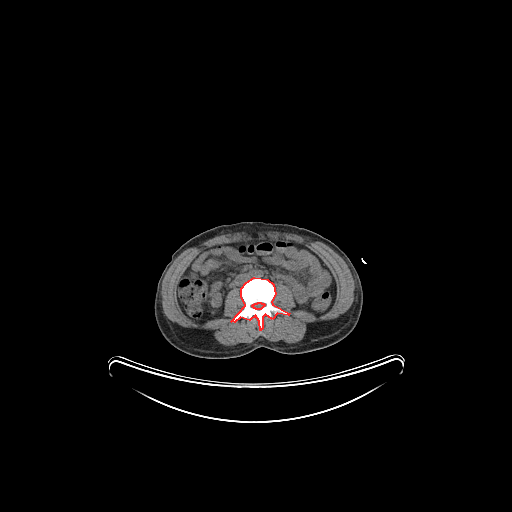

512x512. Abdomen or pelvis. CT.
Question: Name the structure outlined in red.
Answer: red: bones.
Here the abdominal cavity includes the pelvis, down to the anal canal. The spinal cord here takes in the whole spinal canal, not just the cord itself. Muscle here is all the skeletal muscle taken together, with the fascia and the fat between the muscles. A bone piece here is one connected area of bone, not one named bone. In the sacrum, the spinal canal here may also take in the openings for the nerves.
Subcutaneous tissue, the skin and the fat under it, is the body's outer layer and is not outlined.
The bones are outlined by 254 277; 267 279; 273 284; 275 294; 271 301; 272 304; 289 313; 288 315; 277 313; 272 319; 265 314; 262 317; 262 328; 260 330; 259 321; 255 315; 249 320; 240 317; 234 322; 231 321; 245 305; 241 296; 241 288; 246 282 with a hole at 258 302; 260 302; 261 303; 263 303; 264 304; 264 305; 260 309; 256 309; 255 308; 254 308; 252 306; 252 305; 253 304; 254 304; 255 303; 257 303. The abdominal cavity is outlined by 256 239; 290 240; 311 250; 328 268; 334 280; 335 295; 329 309; 320 315; 295 309; 295 295; 286 283; 281 279; 272 282; 254 276; 241 287; 231 288; 227 292; 223 317; 202 323; 190 318; 177 297; 179 280; 190 264; 208 248. The spinal cord is outlined by 258 302; 260 302; 261 303; 263 303; 264 304; 264 305; 260 309; 256 309; 255 308; 254 308; 252 306; 252 305; 253 304; 254 304; 255 303; 257 303. The muscle is outlined by 257 231; 296 232; 310 238; 319 240; 336 252; 346 263; 354 280; 354 300; 345 313; 333 320; 310 325; 307 329; 304 339; 294 344; 287 344; 282 341; 269 341; 265 338; 260 337; 251 343; 239 343; 234 346; 224 346; 217 342; 211 332; 195 328; 182 327; 171 322; 165 316; 162 308; 162 282; 166 272; 173 261; 184 250; 190 247; 198 246; 202 242; 222 234; 235 232; 248 233 with a hole at 256 239; 290 240; 311 250; 334 280; 329 309; 320 315; 295 309; 292 289; 276 279; 271 302; 289 314; 265 314; 260 330; 255 315; 231 321; 245 305; 240 287; 227 292; 223 317; 202 323; 190 318; 177 297; 190 264; 208 248. The torso is outlined by 240 221; 289 223; 305 227; 328 238; 346 253; 360 277; 363 304; 356 326; 345 338; 328 347; 299 354; 280 353; 259 347; 238 357; 212 359; 184 353; 163 337; 155 320; 153 305; 158 279; 172 253; 188 239; 202 231; 221 224.